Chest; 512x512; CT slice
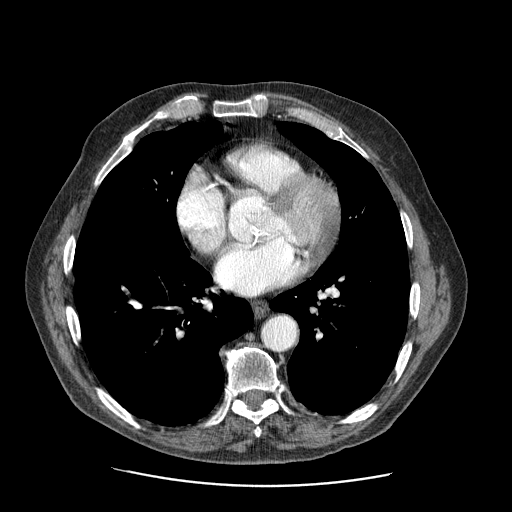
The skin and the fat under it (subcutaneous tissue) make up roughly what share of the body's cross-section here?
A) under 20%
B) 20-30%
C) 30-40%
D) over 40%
A) under 20%
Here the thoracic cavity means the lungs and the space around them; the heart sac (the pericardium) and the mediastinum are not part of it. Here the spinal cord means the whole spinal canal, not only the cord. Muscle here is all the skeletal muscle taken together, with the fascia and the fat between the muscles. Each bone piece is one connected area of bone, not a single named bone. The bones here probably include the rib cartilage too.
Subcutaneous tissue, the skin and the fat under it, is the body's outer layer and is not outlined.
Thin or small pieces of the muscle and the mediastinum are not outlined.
{"mediastinum":[[[276,294],[279,294],[269,301],[269,307],[276,312],[292,316],[299,327],[298,343],[286,363],[287,384],[280,377],[274,358],[260,347],[246,344],[229,347],[225,352],[223,367],[219,355],[222,346],[240,337],[253,324],[253,312],[245,298],[257,299]],[[197,112],[211,114],[218,118],[236,116],[259,118],[272,114],[287,115],[289,117],[287,120],[278,120],[275,126],[277,130],[297,148],[276,140],[253,137],[229,139],[217,143],[223,135],[223,125],[215,118],[201,117],[188,120],[186,118],[188,115]]],"pericardium":[[[248,138],[276,141],[301,151],[313,160],[333,181],[340,206],[337,242],[313,274],[301,283],[280,293],[257,298],[240,297],[227,293],[218,287],[208,270],[192,257],[190,250],[184,242],[176,219],[177,200],[186,176],[195,162],[214,145],[229,140]]],"bones":[{"outer":[[244,345],[260,348],[273,358],[279,377],[288,387],[282,394],[283,399],[296,412],[293,416],[279,409],[269,414],[259,423],[259,437],[253,432],[255,425],[251,420],[230,410],[219,423],[208,427],[199,426],[222,400],[227,381],[224,367],[227,350]],"hole":[[250,390],[261,390],[262,391],[263,391],[265,393],[265,398],[263,400],[263,401],[260,404],[260,405],[259,406],[259,407],[256,409],[252,409],[251,408],[250,408],[247,405],[247,404],[242,399],[242,395],[244,393],[245,393],[247,391],[249,391]]},[[186,94],[198,96],[206,104],[205,110],[203,112],[197,111],[188,114],[185,118],[178,120],[161,119],[153,121],[136,136],[135,143],[131,151],[108,172],[95,189],[93,181],[97,173],[118,147],[123,136],[149,119],[158,110],[169,106],[174,100]],[[291,105],[293,106],[304,107],[309,110],[316,112],[333,121],[336,124],[340,126],[341,128],[368,154],[370,158],[369,160],[367,160],[357,151],[343,142],[330,138],[318,128],[296,118],[291,117],[286,114],[286,112],[284,109],[285,107]],[[257,93],[264,93],[269,98],[268,110],[262,116],[254,117],[253,116],[246,116],[245,115],[236,115],[235,116],[222,116],[218,117],[211,113],[210,105],[213,100],[215,99],[227,100],[228,101],[237,101],[245,98],[248,98],[250,96]],[[95,386],[99,386],[103,388],[122,407],[123,407],[133,416],[134,416],[141,424],[144,429],[138,429],[134,427],[132,425],[131,425],[129,423],[128,423],[126,421],[116,415],[111,410],[110,410],[99,399],[94,389],[94,387]],[[371,401],[376,401],[378,403],[379,403],[379,407],[370,416],[369,416],[367,418],[366,418],[363,420],[361,420],[360,421],[356,421],[355,422],[352,422],[351,423],[337,423],[336,422],[340,418],[349,414],[354,410],[363,406],[365,404],[366,404]],[[67,304],[70,304],[74,308],[78,316],[79,326],[80,327],[80,331],[81,332],[81,341],[80,342],[81,344],[79,347],[77,347],[75,345],[72,339],[72,337],[71,336],[71,334],[68,327],[67,319],[66,318],[66,314],[65,313],[65,307]],[[408,339],[411,339],[412,340],[412,349],[411,350],[411,353],[409,356],[408,361],[400,377],[394,384],[393,383],[393,379],[395,376],[395,372],[394,371],[394,366],[396,363],[396,361],[398,357],[398,354],[403,345],[403,343],[406,340]],[[72,233],[74,234],[76,238],[76,242],[75,243],[75,250],[74,251],[74,255],[73,256],[73,265],[72,266],[72,270],[71,271],[71,274],[68,276],[66,276],[64,273],[64,268],[63,267],[63,248],[64,247],[65,242],[68,236]],[[414,280],[416,280],[419,283],[419,287],[420,288],[420,295],[419,296],[419,308],[418,309],[418,312],[417,313],[417,315],[416,316],[416,318],[415,319],[413,319],[409,315],[409,296],[410,295],[410,288],[411,287],[411,282],[412,281],[413,281]],[[401,208],[407,213],[409,217],[410,222],[411,223],[411,226],[412,227],[412,232],[413,233],[413,245],[411,249],[408,249],[407,247],[407,244],[406,243],[405,233],[403,229],[403,225],[402,224],[401,218],[400,217],[400,214],[399,213],[399,209]]],"muscle":[[[195,91],[216,98],[209,105],[210,113],[204,113],[207,104],[196,94],[174,99],[125,133],[96,173],[92,181],[96,190],[78,236],[70,233],[62,248],[63,273],[73,278],[74,307],[70,303],[64,307],[71,339],[77,348],[81,345],[103,387],[93,387],[98,399],[138,430],[145,428],[137,419],[178,427],[206,418],[198,426],[208,428],[230,411],[251,421],[252,432],[259,438],[260,423],[269,415],[279,410],[297,415],[284,399],[288,389],[314,413],[343,416],[337,424],[363,421],[380,407],[371,400],[393,369],[392,383],[399,380],[413,349],[411,338],[404,341],[409,316],[417,318],[421,295],[420,283],[410,277],[412,223],[368,161],[369,154],[333,120],[292,104],[284,107],[285,114],[263,116],[270,107],[264,92],[228,100],[262,91],[298,98],[347,126],[403,185],[446,266],[451,289],[448,322],[399,397],[370,424],[334,444],[279,449],[258,440],[242,452],[224,448],[190,452],[154,443],[102,413],[72,379],[52,343],[42,309],[41,275],[64,218],[101,160],[128,129],[176,96]],[[183,119],[186,119],[187,120],[176,125],[174,125],[171,127],[166,127],[165,128],[162,128],[161,129],[147,132],[142,135],[137,140],[137,141],[135,142],[136,141],[137,136],[155,121],[160,121],[161,120],[172,120],[173,121],[178,121]]],"torso":[[[270,80],[327,89],[376,110],[399,131],[463,258],[468,281],[464,315],[450,346],[406,409],[386,431],[363,443],[321,458],[281,464],[232,465],[174,457],[120,435],[70,401],[27,308],[24,291],[27,255],[89,132],[122,103],[177,82],[235,84]]],"spinal_cord":[[[250,390],[261,390],[262,391],[263,391],[265,393],[265,398],[263,400],[263,401],[260,404],[260,405],[259,406],[259,407],[256,409],[252,409],[251,408],[250,408],[247,405],[247,404],[242,399],[242,395],[244,393],[245,393],[247,391],[249,391]]],"thoracic_cavity":[[[201,118],[217,120],[222,135],[185,176],[175,219],[190,257],[207,270],[218,288],[247,301],[253,321],[249,329],[218,350],[226,381],[221,400],[211,413],[194,423],[165,426],[133,415],[92,370],[81,343],[72,271],[77,238],[109,172],[145,134]],[[278,121],[308,124],[369,162],[398,209],[404,233],[410,278],[404,339],[393,368],[377,393],[345,415],[314,412],[289,391],[287,363],[299,343],[300,327],[292,315],[272,309],[270,301],[309,279],[334,249],[339,239],[341,206],[334,181],[278,130]]]}